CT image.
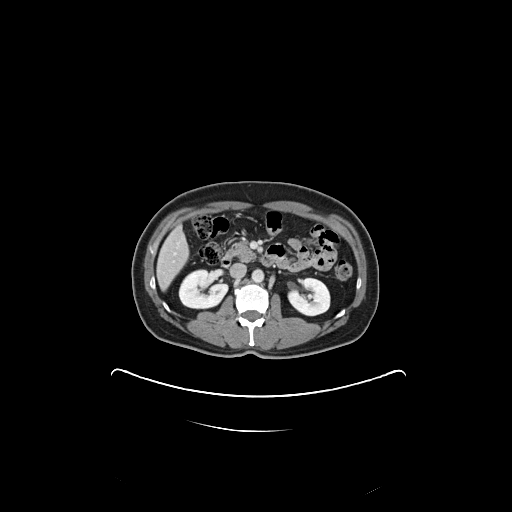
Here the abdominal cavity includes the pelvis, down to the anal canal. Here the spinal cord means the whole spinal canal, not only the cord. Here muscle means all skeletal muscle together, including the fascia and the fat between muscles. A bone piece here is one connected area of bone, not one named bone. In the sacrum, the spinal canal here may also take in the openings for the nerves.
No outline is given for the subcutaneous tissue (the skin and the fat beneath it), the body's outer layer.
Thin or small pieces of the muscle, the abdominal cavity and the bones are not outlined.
The bones appear in 3 outlined pieces: piece 1: [[249,283],[258,284],[265,288],[269,293],[269,305],[264,315],[265,320],[261,326],[256,326],[253,329],[253,341],[254,342],[253,346],[249,345],[249,330],[248,328],[246,326],[242,326],[235,320],[238,313],[235,306],[234,289],[236,287],[237,288]]; inner edge: [[249,310],[254,310],[255,311],[258,312],[259,313],[260,316],[259,317],[258,317],[256,319],[255,319],[252,321],[249,320],[247,318],[246,318],[243,316],[243,313],[244,313],[246,311],[248,311]]; piece 2: [[343,308],[345,308],[345,312],[344,313],[344,314],[343,315],[342,315],[341,316],[340,316],[339,317],[338,317],[337,318],[334,318],[334,316],[341,309],[342,309]]; piece 3: [[163,301],[164,301],[168,305],[168,306],[170,308],[170,309],[171,310],[171,312],[169,312],[168,311],[167,311],[166,310],[166,309],[163,306],[163,305],[162,304],[162,302]]. The abdominal cavity is outlined by [[254,207],[292,213],[339,231],[350,245],[357,266],[354,295],[345,307],[321,322],[284,316],[280,295],[254,282],[236,286],[233,294],[227,295],[215,311],[202,310],[193,317],[169,306],[159,293],[154,275],[156,252],[165,234],[190,217]]. The muscle is outlined by [[279,200],[295,201],[339,215],[357,231],[366,258],[366,290],[356,311],[345,324],[299,345],[274,350],[254,347],[254,329],[261,327],[266,320],[270,294],[275,292],[279,295],[284,317],[299,317],[308,322],[321,323],[332,317],[337,319],[343,316],[355,291],[362,285],[352,247],[339,230],[316,219],[262,206],[190,216],[164,234],[156,251],[154,243],[148,246],[149,252],[155,254],[149,286],[153,290],[157,289],[163,300],[161,304],[167,312],[173,310],[193,318],[202,311],[217,311],[226,297],[233,295],[237,313],[234,320],[247,328],[249,346],[222,348],[184,332],[159,315],[145,290],[143,262],[148,242],[162,219],[175,210],[194,204],[215,201],[261,204]]. The spinal cord is outlined by [[249,310],[254,310],[255,311],[258,312],[259,313],[260,316],[259,317],[258,317],[256,319],[255,319],[252,321],[249,320],[247,318],[246,318],[243,316],[243,313],[244,313],[246,311],[248,311]]. The torso is outlined by [[243,180],[289,182],[318,190],[343,202],[362,221],[372,239],[378,260],[379,300],[367,329],[357,340],[327,351],[286,359],[264,359],[251,353],[219,357],[164,342],[146,329],[136,309],[131,279],[132,257],[143,229],[166,202],[184,191],[211,183]].